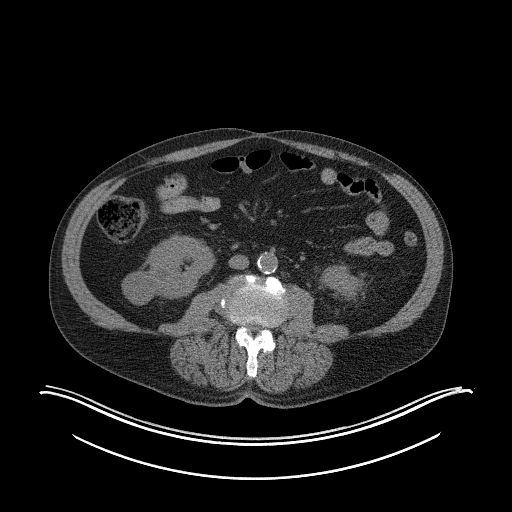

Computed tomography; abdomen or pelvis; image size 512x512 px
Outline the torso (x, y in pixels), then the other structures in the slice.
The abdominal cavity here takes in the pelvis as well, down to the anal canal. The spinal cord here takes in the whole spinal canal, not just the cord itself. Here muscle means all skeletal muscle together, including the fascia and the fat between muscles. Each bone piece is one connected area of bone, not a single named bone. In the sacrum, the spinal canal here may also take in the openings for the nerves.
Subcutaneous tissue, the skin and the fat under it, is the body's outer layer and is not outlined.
torso: (220, 127) (331, 135) (383, 155) (421, 184) (445, 221) (453, 253) (445, 326) (422, 359) (366, 388) (307, 406) (280, 409) (247, 397) (234, 405) (210, 407) (170, 398) (114, 375) (66, 341) (50, 308) (48, 266) (53, 237) (68, 205) (96, 175) (123, 157) (173, 136)
muscle: (255, 135) (268, 135) (342, 151) (373, 163) (387, 173) (395, 173) (402, 176) (409, 181) (428, 202) (439, 224) (444, 245) (441, 276) (430, 303) (422, 312) (420, 317) (417, 318) (411, 325) (395, 332) (388, 332) (374, 337) (359, 337) (356, 339) (341, 340) (334, 343) (332, 346) (334, 353) (332, 365) (321, 379) (308, 387) (298, 389) (291, 387) (282, 393) (269, 393) (263, 391) (253, 384) (249, 385) (247, 383) (230, 391) (221, 391) (209, 384) (206, 386) (193, 384) (180, 376) (172, 367) (169, 358) (169, 338) (167, 336) (158, 336) (141, 332) (128, 332) (118, 329) (107, 329) (93, 323) (72, 296) (62, 273) (61, 253) (69, 220) (80, 201) (94, 187) (110, 178) (124, 174) (133, 167) (152, 158) (214, 141); inner edge: (250, 139) (375, 171) (416, 214) (426, 253) (407, 301) (358, 331) (317, 325) (314, 297) (285, 283) (284, 319) (271, 328) (274, 349) (258, 352) (255, 377) (220, 304) (227, 280) (197, 293) (177, 321) (152, 328) (98, 299) (80, 266) (92, 216) (128, 179)
abdominal cavity: (250, 139) (370, 168) (407, 201) (423, 232) (425, 266) (417, 287) (394, 315) (353, 332) (343, 323) (317, 325) (315, 300) (307, 290) (254, 273) (234, 274) (197, 293) (177, 321) (156, 328) (127, 319) (92, 293) (80, 266) (82, 241) (92, 216) (112, 192) (141, 171)
bones: (237, 274) (254, 274) (263, 278) (273, 276) (286, 289) (287, 303) (284, 319) (271, 328) (275, 347) (269, 352) (262, 350) (258, 352) (255, 377) (250, 377) (246, 373) (247, 350) (243, 346) (240, 347) (235, 340) (238, 326) (228, 318) (220, 304) (228, 289) (228, 280); inner edge: (250, 322) (254, 322) (257, 324) (260, 324) (262, 326) (263, 326) (264, 327) (264, 328) (263, 328) (260, 331) (260, 332) (259, 333) (253, 335) (252, 334) (251, 334) (248, 332) (248, 329) (245, 326) (245, 325) (247, 323) (249, 323)
spinal cord: (250, 322) (254, 322) (257, 324) (260, 324) (262, 326) (263, 326) (264, 327) (264, 328) (263, 328) (260, 331) (260, 332) (259, 333) (253, 335) (252, 334) (251, 334) (248, 332) (248, 329) (245, 326) (245, 325) (247, 323) (249, 323)